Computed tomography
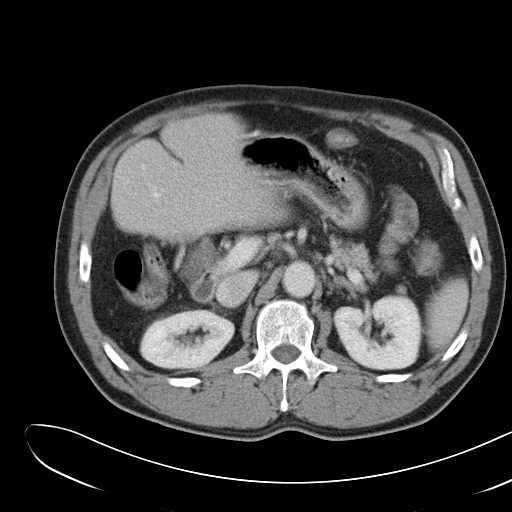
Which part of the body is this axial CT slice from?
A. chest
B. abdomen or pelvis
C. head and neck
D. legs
Answer: B. abdomen or pelvis
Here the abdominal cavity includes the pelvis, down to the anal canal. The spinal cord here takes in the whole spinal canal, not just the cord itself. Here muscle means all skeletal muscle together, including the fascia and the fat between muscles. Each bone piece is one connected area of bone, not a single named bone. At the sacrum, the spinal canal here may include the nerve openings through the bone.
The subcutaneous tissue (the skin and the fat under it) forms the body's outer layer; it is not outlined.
Outlines (x, y in pixels):
bones 1: [[274,299],[289,299],[305,305],[314,322],[313,353],[337,366],[336,371],[322,372],[313,385],[301,370],[291,371],[286,382],[286,411],[280,410],[282,377],[278,370],[273,369],[261,378],[233,372],[234,367],[245,364],[255,355],[256,317],[261,308]], around a hole outlined by [[281,344],[289,344],[290,345],[293,345],[295,347],[296,347],[299,350],[300,352],[298,356],[292,361],[290,362],[288,362],[287,363],[283,363],[277,360],[273,356],[271,352],[273,349],[274,349],[276,347],[277,347]]
bones 2: [[443,146],[448,150],[450,154],[453,163],[453,171],[454,172],[454,180],[455,181],[456,191],[462,203],[461,206],[455,211],[453,211],[451,209],[450,205],[448,203],[448,199],[442,186],[442,179],[441,178],[442,166],[438,153],[438,148]]
bones 3: [[82,241],[85,241],[85,242],[87,244],[89,251],[91,254],[91,257],[92,258],[92,261],[91,262],[91,268],[90,269],[90,275],[89,276],[89,279],[88,281],[86,282],[83,282],[81,281],[79,277],[79,250],[80,249],[80,244]]
bones 4: [[472,234],[474,234],[477,238],[477,240],[478,241],[478,243],[481,250],[481,254],[482,255],[482,259],[483,260],[482,262],[482,267],[479,271],[477,271],[473,267],[471,260],[470,259],[470,256],[468,252],[468,244],[470,240],[470,237]]
bones 5: [[462,328],[465,328],[467,330],[467,337],[463,345],[460,348],[458,352],[455,355],[454,355],[452,357],[444,361],[441,361],[441,358],[443,354],[446,351],[446,350],[449,347],[449,346],[458,335],[458,334],[460,332]]
bones 6: [[104,341],[106,341],[126,362],[126,363],[129,366],[130,368],[130,370],[128,371],[126,370],[123,370],[119,368],[117,366],[116,366],[116,365],[109,358],[109,357],[107,355],[107,354],[105,352],[103,348],[103,345],[102,343]]
bones 7: [[183,376],[190,376],[191,377],[197,377],[198,378],[199,378],[201,380],[201,382],[200,383],[197,384],[195,386],[194,386],[193,387],[183,387],[182,386],[175,386],[174,385],[172,385],[171,384],[168,383],[166,380],[166,378],[167,377],[182,377]]
bones 8: [[409,372],[411,372],[412,373],[412,375],[410,377],[409,377],[402,381],[399,381],[398,382],[378,382],[377,381],[376,381],[374,378],[374,377],[376,375],[379,375],[380,374],[389,374],[390,373],[397,373],[398,374],[403,374],[404,373],[408,373]]
muscle: [[270,98],[274,98],[285,102],[301,103],[306,105],[340,109],[347,111],[371,110],[399,116],[410,121],[419,127],[423,127],[427,130],[436,132],[447,138],[455,146],[464,160],[483,212],[487,231],[487,236],[488,237],[488,245],[491,255],[491,264],[490,265],[491,283],[488,290],[487,309],[485,317],[482,323],[481,339],[473,356],[461,371],[441,386],[438,389],[437,392],[433,394],[417,408],[398,418],[374,425],[364,426],[363,427],[350,427],[349,428],[339,428],[325,425],[318,425],[298,418],[291,413],[282,413],[274,420],[269,422],[264,426],[257,428],[214,427],[213,426],[201,425],[180,420],[170,417],[167,415],[161,414],[149,408],[137,400],[131,394],[121,390],[109,383],[94,364],[91,356],[91,353],[79,330],[77,320],[70,302],[70,294],[67,282],[68,268],[69,267],[68,264],[68,252],[71,239],[72,217],[73,216],[75,199],[83,176],[96,155],[113,139],[133,125],[150,115],[155,114],[166,109],[174,108],[182,105],[195,104],[206,100],[233,100],[234,99],[264,100]] with holes at [[245,104],[356,121],[424,156],[466,246],[474,234],[483,260],[479,271],[470,267],[467,337],[455,355],[402,381],[378,382],[377,373],[328,346],[332,315],[320,309],[311,348],[337,370],[322,372],[313,385],[301,370],[291,371],[288,408],[281,411],[278,370],[261,378],[233,372],[257,348],[252,304],[239,349],[168,375],[144,369],[102,331],[91,276],[79,277],[79,250],[85,241],[93,252],[116,159],[169,118]] and at [[443,146],[448,150],[450,154],[453,163],[453,171],[454,172],[454,180],[455,181],[456,191],[462,203],[461,206],[455,211],[453,211],[451,209],[450,205],[448,203],[448,199],[442,186],[442,179],[441,178],[442,166],[438,153],[438,148]] and at [[104,341],[106,341],[126,362],[126,363],[129,366],[130,368],[130,370],[128,371],[126,370],[123,370],[119,368],[117,366],[116,366],[116,365],[109,358],[109,357],[107,355],[107,354],[105,352],[103,348],[103,345],[102,343]] and at [[183,376],[190,376],[191,377],[197,377],[198,378],[199,378],[201,380],[201,382],[200,383],[197,384],[195,386],[194,386],[193,387],[183,387],[182,386],[175,386],[174,385],[172,385],[171,384],[168,383],[166,380],[166,378],[167,377],[182,377]]
spinal cord: [[281,344],[289,344],[290,345],[293,345],[295,347],[296,347],[299,350],[300,352],[298,356],[292,361],[290,362],[288,362],[287,363],[283,363],[277,360],[273,356],[271,352],[273,349],[274,349],[276,347],[277,347]]
torso: [[227,83],[305,85],[403,99],[443,118],[468,145],[502,234],[505,298],[499,327],[484,361],[457,395],[426,422],[347,441],[292,430],[256,441],[197,435],[112,404],[69,349],[55,312],[53,263],[62,201],[80,156],[106,125],[142,102],[183,89]]
abdominal cavity: [[245,104],[356,121],[424,156],[471,263],[467,315],[435,363],[362,369],[328,346],[328,308],[318,311],[317,329],[306,305],[289,298],[263,305],[252,330],[257,309],[247,305],[239,349],[168,375],[144,369],[99,327],[92,245],[116,159],[169,118]]